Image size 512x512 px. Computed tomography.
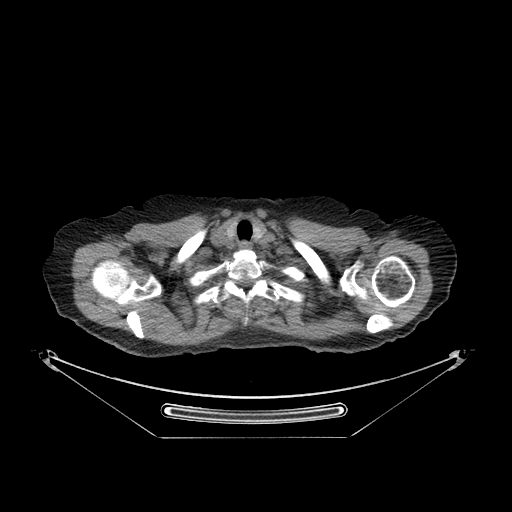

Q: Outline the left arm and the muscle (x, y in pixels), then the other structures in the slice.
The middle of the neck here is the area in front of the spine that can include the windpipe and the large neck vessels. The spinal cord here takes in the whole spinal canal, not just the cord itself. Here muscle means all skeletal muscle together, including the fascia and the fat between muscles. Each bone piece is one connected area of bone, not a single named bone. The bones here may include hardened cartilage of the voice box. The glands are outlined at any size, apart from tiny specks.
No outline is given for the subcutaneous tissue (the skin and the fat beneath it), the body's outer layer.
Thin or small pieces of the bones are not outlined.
A: {"left_arm":[[[406,214],[418,214],[437,221],[453,241],[457,253],[457,268],[450,287],[448,299],[438,307],[429,318],[420,322],[416,328],[409,334],[405,334],[392,327],[376,312],[365,294],[364,287],[358,274],[360,256],[365,240],[385,222],[390,222],[393,219]]],"muscle":[{"outer":[[218,207],[240,210],[261,207],[279,216],[296,215],[336,227],[359,226],[372,237],[401,230],[428,251],[432,293],[423,309],[403,326],[388,329],[394,325],[393,319],[383,312],[374,312],[365,322],[367,333],[330,340],[244,328],[199,345],[170,345],[144,339],[136,309],[125,316],[133,334],[103,326],[87,318],[73,302],[69,273],[75,250],[100,241],[107,234],[121,235],[136,223],[162,223],[199,211],[212,212]],"holes":[[[241,217],[276,236],[272,245],[255,252],[258,260],[295,266],[305,274],[298,281],[277,269],[266,272],[305,294],[303,301],[257,295],[246,307],[231,294],[219,303],[193,302],[220,276],[195,286],[188,279],[233,259],[231,251],[212,246],[210,234]],[[106,259],[112,259],[120,262],[128,271],[128,273],[140,285],[144,284],[147,281],[151,273],[153,274],[161,284],[162,288],[161,293],[149,299],[137,302],[132,301],[125,304],[119,304],[109,298],[100,295],[92,286],[91,274],[93,268],[100,261]],[[391,255],[395,255],[403,259],[408,264],[412,272],[412,274],[415,278],[415,286],[410,298],[405,302],[396,307],[390,307],[389,306],[384,305],[371,292],[371,290],[368,286],[368,282],[370,280],[370,278],[373,273],[374,268],[377,263],[381,259]],[[291,238],[295,238],[298,240],[300,240],[304,242],[310,247],[311,247],[316,252],[316,253],[319,256],[325,265],[331,277],[331,283],[329,285],[326,285],[320,281],[304,257],[294,247],[290,240]],[[357,260],[361,261],[363,263],[363,266],[356,273],[355,275],[355,281],[359,286],[366,287],[368,290],[369,298],[366,301],[365,300],[362,300],[357,296],[350,296],[346,294],[341,290],[339,286],[339,279],[343,274],[344,270],[352,265]],[[203,228],[206,228],[207,229],[207,232],[202,242],[195,250],[195,251],[189,257],[188,257],[183,262],[181,263],[177,263],[176,262],[176,257],[177,256],[178,251],[180,249],[182,245],[188,238],[192,236],[198,230],[200,229],[202,229]],[[246,315],[247,315],[248,316],[248,317],[248,318],[248,319],[248,320],[248,321],[248,322],[248,323],[247,324],[247,325],[246,325],[245,325],[244,325],[243,324],[243,323],[243,322],[243,321],[243,320],[244,319],[244,318],[245,317],[245,316]]]}],"bones":[{"outer":[[241,249],[254,251],[258,260],[301,270],[305,276],[298,281],[277,269],[266,273],[305,294],[303,301],[280,297],[275,302],[257,295],[246,307],[231,294],[219,303],[195,304],[193,298],[220,276],[195,286],[188,279],[196,271],[231,261],[233,253]],"hole":[[244,278],[249,278],[250,279],[252,279],[253,280],[253,283],[252,284],[252,285],[248,289],[247,289],[246,290],[245,289],[244,289],[242,287],[240,287],[237,284],[237,283],[236,282],[236,281],[238,281],[239,280],[240,280],[241,279],[243,279]]},[[106,259],[112,259],[120,262],[128,271],[128,273],[140,285],[144,284],[147,281],[151,273],[153,274],[161,284],[162,288],[161,293],[149,299],[137,302],[132,301],[125,304],[119,304],[109,298],[100,295],[92,286],[91,274],[93,268],[100,261]],[[391,255],[395,255],[403,259],[408,264],[412,272],[412,274],[415,278],[415,286],[410,298],[405,302],[396,307],[390,307],[389,306],[384,305],[371,292],[371,290],[368,286],[368,282],[370,280],[370,278],[373,273],[374,268],[377,263],[381,259]],[[291,238],[295,238],[298,240],[300,240],[304,242],[310,247],[311,247],[316,252],[316,253],[319,256],[325,265],[331,277],[331,283],[329,285],[326,285],[320,281],[304,257],[294,247],[290,240]],[[357,260],[361,261],[363,263],[363,266],[356,273],[355,275],[355,281],[359,286],[366,287],[368,290],[369,298],[366,301],[365,300],[362,300],[357,296],[350,296],[346,294],[341,290],[339,286],[339,279],[343,274],[344,270],[352,265]],[[203,228],[206,228],[207,229],[207,232],[202,242],[195,250],[195,251],[189,257],[188,257],[183,262],[181,263],[177,263],[176,262],[176,257],[177,256],[178,251],[180,249],[182,245],[188,238],[192,236],[198,230],[200,229],[202,229]],[[374,313],[383,313],[384,314],[389,316],[392,319],[392,321],[393,322],[393,325],[390,326],[387,329],[385,329],[384,330],[382,330],[381,331],[378,331],[375,333],[368,333],[366,330],[366,322],[367,321],[368,318],[372,314],[373,314]],[[132,310],[136,310],[137,311],[137,313],[140,317],[140,322],[141,323],[141,326],[142,327],[142,331],[144,335],[144,337],[142,339],[140,338],[138,338],[134,335],[133,332],[131,330],[131,329],[129,327],[129,326],[126,322],[126,316],[128,312]]],"torso":[[[162,193],[326,195],[344,202],[352,212],[358,208],[376,212],[385,221],[362,244],[358,278],[375,312],[408,335],[355,353],[280,346],[146,358],[86,332],[58,314],[96,310],[114,301],[131,278],[129,242],[105,215],[126,205],[139,209],[144,200]]],"spinal_cord":[[[244,278],[249,278],[250,279],[252,279],[253,280],[253,283],[252,284],[252,285],[248,289],[247,289],[246,290],[245,289],[244,289],[242,287],[240,287],[237,284],[237,283],[236,282],[236,281],[238,281],[239,280],[240,280],[241,279],[243,279]]],"right_arm":[[[85,216],[93,217],[104,216],[112,221],[123,232],[128,242],[130,254],[129,282],[126,288],[114,300],[96,309],[79,313],[57,313],[54,304],[48,293],[47,287],[42,275],[41,270],[42,264],[45,258],[52,250],[53,237],[56,231],[64,224]]],"thyroid_glands":[[[234,219],[235,220],[236,220],[236,225],[235,226],[235,236],[234,237],[234,238],[232,240],[230,240],[227,237],[227,236],[225,234],[225,233],[224,232],[224,230],[223,229],[223,224],[225,222],[226,222],[228,220],[233,220]],[[256,223],[257,223],[258,224],[261,224],[262,225],[263,225],[264,226],[264,227],[265,228],[265,233],[263,235],[263,236],[258,241],[255,241],[254,240],[254,239],[253,238],[253,234],[254,233],[254,226],[255,225],[255,224]]],"middle_of_the_neck":[[[241,217],[250,218],[255,223],[252,234],[255,242],[258,242],[264,236],[266,229],[271,231],[277,240],[272,245],[256,251],[250,248],[241,248],[233,252],[216,249],[209,240],[210,234],[214,231],[223,230],[226,237],[232,241],[236,236],[237,219]]]}